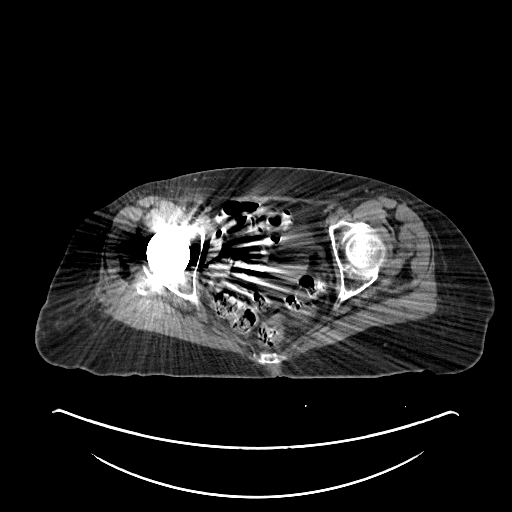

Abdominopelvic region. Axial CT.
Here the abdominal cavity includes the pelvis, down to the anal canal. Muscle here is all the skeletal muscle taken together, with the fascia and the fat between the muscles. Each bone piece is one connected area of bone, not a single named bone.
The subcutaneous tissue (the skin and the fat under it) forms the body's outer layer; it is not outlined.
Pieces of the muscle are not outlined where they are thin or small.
The abdominal cavity is outlined by [[224,199],[276,204],[302,203],[323,205],[325,208],[324,218],[329,224],[327,233],[335,262],[335,293],[332,304],[318,321],[281,351],[260,351],[248,340],[235,333],[214,310],[199,279],[199,259],[205,236],[200,214],[208,204],[218,203]]. The torso is outlined by [[238,166],[313,168],[375,178],[406,189],[443,212],[468,240],[494,293],[495,310],[478,361],[453,374],[436,374],[426,369],[378,377],[276,376],[262,379],[96,375],[83,369],[66,369],[46,362],[35,347],[37,317],[53,275],[82,220],[142,183]]. The bones appear in 3 outlined pieces: piece 1: [[198,215],[201,215],[200,221],[204,236],[197,269],[198,279],[203,289],[201,288],[199,290],[200,303],[197,308],[193,303],[178,296],[166,287],[162,289],[147,275],[143,264],[144,263],[148,268],[149,267],[146,251],[148,243],[156,232],[170,222]]; piece 2: [[340,219],[343,219],[348,222],[362,221],[375,228],[386,246],[386,254],[385,260],[379,268],[377,278],[362,291],[338,304],[336,303],[338,302],[336,297],[338,293],[338,287],[340,284],[339,269],[334,258],[328,228],[330,224],[335,223]]; piece 3: [[254,352],[255,352],[257,354],[258,354],[261,352],[276,352],[278,354],[279,354],[280,355],[285,355],[286,356],[287,356],[287,358],[285,360],[283,360],[282,361],[281,361],[279,363],[265,363],[264,364],[260,364],[254,359],[254,358],[252,355]]. The muscle is outlined by [[249,191],[309,198],[385,195],[404,199],[421,218],[434,243],[434,274],[440,298],[437,311],[424,319],[370,327],[333,345],[311,349],[267,370],[252,365],[236,353],[137,330],[110,317],[98,296],[101,256],[113,220],[125,205],[146,193],[242,195]] with a hole at [[224,199],[323,205],[328,224],[340,219],[365,222],[386,246],[377,278],[339,304],[340,277],[334,264],[332,304],[276,351],[287,356],[279,363],[256,361],[253,353],[261,352],[228,326],[203,289],[197,308],[162,289],[145,271],[147,246],[156,232]].